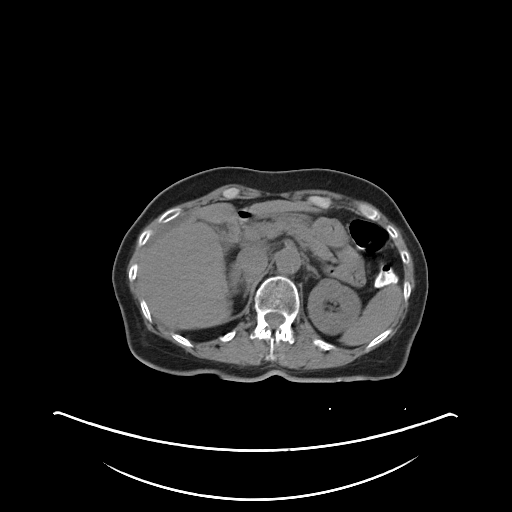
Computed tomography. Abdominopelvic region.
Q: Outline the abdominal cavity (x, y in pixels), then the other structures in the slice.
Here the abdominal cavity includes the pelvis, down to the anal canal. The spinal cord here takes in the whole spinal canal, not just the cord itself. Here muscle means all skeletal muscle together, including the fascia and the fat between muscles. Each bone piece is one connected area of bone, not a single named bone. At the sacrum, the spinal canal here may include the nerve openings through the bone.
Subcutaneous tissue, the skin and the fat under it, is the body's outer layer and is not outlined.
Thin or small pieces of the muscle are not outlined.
A: Outlines:
abdominal cavity: 262,196 279,196 326,209 344,208 385,226 403,264 403,300 389,327 367,343 353,348 328,342 306,318 295,283 279,274 260,283 243,319 216,338 192,341 152,317 136,278 142,246 153,233 162,224 210,201
torso: 219,166 273,171 335,169 367,179 392,197 416,235 428,269 424,313 408,361 398,375 376,381 333,383 292,382 273,375 255,382 239,382 211,374 162,372 132,354 112,285 112,266 121,240 161,190 186,176
muscle 1: 229,183 241,184 271,192 285,192 302,189 328,190 354,199 366,201 381,211 401,230 414,264 415,286 409,300 408,311 397,332 389,340 373,350 347,364 337,367 304,370 281,366 273,362 277,358 274,353 276,344 277,345 280,341 293,344 295,341 292,325 299,313 301,304 305,318 320,338 313,338 312,343 324,351 333,350 336,346 340,348 353,349 365,345 365,348 369,349 383,341 392,331 390,326 398,315 402,302 407,302 412,292 410,282 404,279 404,264 408,265 410,263 411,256 407,250 398,249 394,240 399,237 396,228 391,224 384,225 378,221 381,218 381,213 375,207 363,202 360,202 356,207 360,213 358,213 348,208 331,206 332,200 329,197 317,194 308,195 306,200 309,202 299,201 279,195 234,198 240,191 238,188 231,186 225,188 221,193 225,199 210,200 182,213 183,209 180,206 173,206 200,197
muscle 2: 136,239 136,245 141,247 139,259 128,268 127,279 130,282 135,280 143,295 139,300 139,306 144,318 150,323 153,318 171,330 170,335 176,342 192,348 194,346 192,342 205,342 217,338 223,343 230,341 237,332 233,329 244,319 252,304 256,323 249,338 268,341 268,353 264,359 272,361 241,367 236,364 199,358 148,330 127,283 126,269
muscle 3: 158,215 159,215 156,218 156,221 158,223 160,223 161,224 161,225 160,225 154,231 151,228 146,228 145,229 144,229 143,230 142,230 143,229 143,228 149,222 150,222 154,218 155,218
spinal cord: 268,313 278,313 279,314 282,315 283,316 284,319 283,320 283,321 279,325 278,325 275,328 274,328 273,329 270,327 269,324 266,321 266,320 265,319 265,315
bones 1: 278,275 284,276 294,283 298,292 300,305 291,325 294,341 289,343 280,340 276,343 273,349 276,358 273,361 265,359 269,353 269,341 259,338 252,339 250,334 257,323 254,308 256,290 265,279, around a hole outlined by 268,313 278,313 279,314 282,315 283,316 284,319 283,320 283,321 279,325 278,325 275,328 274,328 273,329 270,327 269,324 266,321 266,320 265,319 265,315
bones 2: 172,207 180,207 182,209 182,212 181,213 181,214 177,217 176,217 167,222 165,222 164,223 161,223 160,222 158,222 157,221 157,218 160,215 160,214 161,214 165,210 166,210 169,208 171,208
bones 3: 360,203 363,203 364,204 366,204 371,207 373,207 374,208 375,208 380,213 380,218 378,220 372,220 371,219 370,219 369,218 362,215 361,214 360,211 358,209 358,208 357,207 358,206 358,205
bones 4: 312,195 317,195 318,196 323,196 324,197 327,197 328,198 329,198 331,200 331,205 329,207 327,207 326,208 325,207 321,207 318,205 316,205 315,204 308,201 307,200 307,197 308,196 311,196
bones 5: 388,328 390,328 391,329 391,331 386,336 386,337 383,340 382,340 379,343 378,343 377,344 375,344 373,346 372,346 369,348 366,348 366,345 372,339 373,339 380,333 381,333 383,331 384,331
bones 6: 146,229 151,229 153,231 153,232 152,233 152,234 149,237 149,238 147,240 147,241 143,245 142,245 141,246 138,246 137,245 137,238 138,237 138,236 139,235 139,234 142,231 143,231 144,230 145,230
bones 7: 172,332 177,333 178,334 179,334 180,335 185,337 187,339 188,339 192,343 193,346 192,347 189,347 188,346 186,346 185,345 183,345 182,344 179,343 177,341 176,341 172,337 172,336 171,335 171,333
bones 8: 315,338 316,338 317,339 321,339 328,343 330,343 331,344 334,345 335,346 335,348 334,348 333,349 330,349 329,350 324,350 323,349 320,348 318,346 317,346 315,344 314,344 313,343 313,339 314,339
bones 9: 142,298 143,298 145,300 148,306 148,308 149,309 149,311 150,312 150,314 152,318 152,321 151,322 150,322 145,317 144,317 142,313 142,311 141,310 141,307 140,306 140,300
bones 10: 231,187 234,187 235,188 238,189 238,190 239,191 238,192 238,193 235,196 235,197 234,197 233,198 230,198 229,199 227,199 225,197 224,197 224,196 222,194 222,193 225,189 227,189 228,188 230,188
bones 11: 404,280 406,280 407,281 408,281 409,282 409,283 410,284 410,286 411,287 411,292 410,293 410,295 409,296 409,298 407,300 407,301 405,301 404,300 404,299 403,298 403,284 404,283
bones 12: 134,263 137,263 137,264 138,265 138,267 137,268 137,273 136,274 136,277 135,278 135,279 134,280 133,280 132,281 130,281 128,279 128,271 129,270 129,268 132,265 132,264 133,264
bones 13: 232,330 235,330 235,331 236,332 235,333 235,335 230,340 229,340 228,341 225,341 224,342 223,342 222,341 219,340 219,339 218,338 220,336 221,336 222,335 223,335 224,334 225,334 226,333 227,333
bones 14: 400,250 405,250 406,251 407,251 408,252 408,253 409,254 409,255 410,256 410,261 409,262 409,263 408,264 405,264 404,263 403,263 403,262 402,261 402,259 401,258 401,257 400,256 400,252 399,251
bones 15: 387,225 391,225 393,227 394,227 395,228 395,229 397,231 397,232 398,233 398,237 397,238 395,238 394,239 390,235 390,234 388,232 388,231 386,229 386,226